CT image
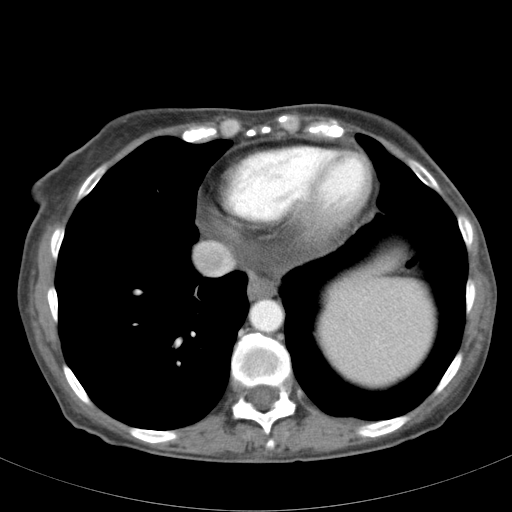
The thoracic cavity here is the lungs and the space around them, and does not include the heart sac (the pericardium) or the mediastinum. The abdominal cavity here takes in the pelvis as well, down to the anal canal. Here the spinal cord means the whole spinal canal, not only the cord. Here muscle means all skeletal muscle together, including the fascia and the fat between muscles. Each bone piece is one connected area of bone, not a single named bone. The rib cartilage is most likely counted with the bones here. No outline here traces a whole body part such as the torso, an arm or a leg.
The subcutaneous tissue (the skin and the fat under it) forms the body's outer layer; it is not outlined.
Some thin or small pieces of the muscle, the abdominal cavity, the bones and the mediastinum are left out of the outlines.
The thoracic cavity appears in 2 outlined pieces: piece 1: (163, 135) (188, 143) (231, 141) (198, 187) (194, 216) (198, 238) (190, 248) (190, 260) (205, 277) (244, 273) (248, 309) (230, 356) (229, 386) (219, 402) (193, 423) (149, 429) (129, 425) (100, 408) (66, 362) (55, 276) (66, 226) (78, 203) (108, 169) (145, 141); piece 2: (357, 133) (378, 141) (441, 197) (456, 218) (467, 259) (465, 315) (456, 353) (435, 387) (421, 402) (404, 414) (374, 421) (328, 414) (312, 402) (296, 382) (285, 340) (286, 311) (279, 292) (289, 271) (334, 252) (380, 212) (377, 199) (381, 182) (371, 158) (355, 137); inner edge: (392, 234) (399, 234) (407, 238) (419, 251) (421, 261) (427, 268) (427, 279) (439, 312) (437, 335) (427, 358) (413, 374) (386, 390) (370, 391) (347, 383) (331, 369) (318, 349) (311, 330) (318, 309) (318, 292) (322, 284) (338, 270) (350, 266) (363, 258) (377, 242). The spinal cord is outlined by (257, 385) (266, 385) (267, 386) (271, 386) (272, 387) (274, 387) (277, 390) (277, 398) (271, 404) (271, 407) (269, 409) (267, 409) (266, 410) (259, 410) (257, 409) (254, 406) (254, 405) (247, 399) (247, 392) (248, 391) (248, 389) (252, 387) (254, 387). The abdominal cavity is outlined by (392, 234) (399, 234) (407, 238) (419, 251) (421, 261) (427, 268) (427, 279) (439, 312) (437, 335) (427, 358) (413, 374) (386, 390) (370, 391) (347, 383) (331, 369) (318, 349) (311, 330) (318, 309) (318, 292) (322, 284) (338, 270) (350, 266) (363, 258) (377, 242). The bones appear in 14 outlined pieces: piece 1: (254, 332) (271, 337) (286, 348) (290, 356) (295, 383) (304, 393) (299, 399) (295, 390) (292, 389) (289, 397) (296, 403) (294, 413) (278, 418) (272, 424) (268, 435) (254, 420) (232, 418) (231, 407) (237, 400) (238, 393) (230, 384) (231, 356) (236, 342) (242, 336), around a hole outlined by (257, 385) (266, 385) (267, 386) (271, 386) (272, 387) (274, 387) (277, 390) (277, 398) (271, 404) (271, 407) (269, 409) (267, 409) (266, 410) (259, 410) (257, 409) (254, 406) (254, 405) (247, 399) (247, 392) (248, 391) (248, 389) (252, 387) (254, 387); piece 2: (227, 119) (236, 119) (241, 123) (241, 129) (239, 132) (233, 136) (230, 137) (223, 137) (221, 134) (219, 133) (216, 138) (204, 142) (188, 142) (183, 140) (181, 138) (181, 134) (183, 131) (187, 129) (200, 125) (212, 126) (218, 128) (220, 123); piece 3: (405, 414) (408, 415) (410, 418) (400, 427) (391, 432) (389, 432) (379, 436) (376, 436) (375, 437) (362, 436) (356, 432) (356, 429) (361, 425) (363, 425) (370, 422) (378, 421) (379, 420) (387, 420) (388, 419) (390, 419) (394, 417) (397, 417) (398, 416) (401, 416); piece 4: (330, 119) (334, 119) (336, 120) (337, 122) (344, 128) (345, 132) (341, 137) (333, 138) (332, 137) (326, 137) (325, 136) (321, 136) (320, 135) (309, 134) (304, 132) (302, 130) (306, 125) (310, 124) (313, 122) (317, 122) (318, 121) (322, 121) (323, 120) (326, 121); piece 5: (130, 426) (132, 427) (137, 427) (142, 429) (148, 429) (149, 430) (176, 430) (178, 435) (176, 438) (171, 440) (168, 440) (163, 442) (151, 443) (150, 442) (147, 442) (141, 439) (139, 439) (130, 434) (128, 431) (128, 428); piece 6: (408, 158) (410, 158) (411, 159) (413, 159) (417, 161) (420, 164) (421, 164) (429, 172) (429, 173) (435, 179) (435, 180) (437, 182) (441, 190) (441, 194) (439, 194) (435, 190) (426, 185) (416, 175) (416, 174) (409, 167) (409, 166) (407, 165) (406, 163) (406, 160); piece 7: (103, 164) (105, 164) (107, 165) (108, 167) (107, 170) (103, 174) (103, 175) (96, 183) (96, 184) (93, 187) (93, 188) (78, 202) (76, 201) (76, 197) (77, 196) (78, 191) (81, 185) (83, 183) (83, 182) (86, 179) (86, 178) (96, 168) (97, 168) (99, 166); piece 8: (458, 351) (461, 351) (463, 355) (463, 357) (462, 358) (462, 360) (461, 361) (461, 363) (458, 370) (453, 376) (453, 377) (440, 392) (439, 392) (436, 395) (432, 395) (432, 392) (433, 390) (438, 384) (443, 374) (447, 369) (448, 366) (451, 363) (452, 360); piece 9: (63, 363) (66, 363) (67, 364) (67, 365) (70, 368) (70, 369) (72, 371) (80, 384) (83, 387) (84, 390) (88, 395) (89, 398) (92, 401) (92, 404) (91, 405) (89, 405) (82, 401) (74, 392) (65, 377) (65, 375) (64, 374) (64, 372) (62, 368) (62, 364); piece 10: (459, 214) (463, 214) (465, 215) (469, 219) (471, 223) (471, 225) (472, 226) (472, 242) (471, 243) (471, 246) (470, 247) (470, 250) (469, 251) (467, 251) (466, 246) (464, 243) (462, 235) (459, 229) (459, 226) (458, 225) (458, 222) (457, 221) (457, 216); piece 11: (283, 114) (289, 114) (290, 115) (294, 115) (296, 116) (300, 120) (300, 123) (301, 124) (301, 127) (300, 129) (296, 132) (289, 132) (283, 129) (281, 127) (280, 127) (279, 124) (276, 120) (276, 118) (278, 116) (280, 115) (282, 115); piece 12: (61, 225) (63, 225) (65, 227) (65, 229) (64, 230) (63, 238) (61, 242) (61, 245) (59, 248) (59, 251) (58, 252) (58, 255) (57, 256) (57, 260) (56, 261) (54, 260) (51, 253) (50, 242) (51, 241) (51, 236) (52, 235) (53, 231) (56, 227) (60, 226); piece 13: (52, 285) (54, 286) (55, 288) (55, 290) (56, 291) (56, 294) (57, 295) (57, 303) (58, 304) (58, 321) (57, 323) (56, 323) (53, 319) (53, 317) (52, 316) (52, 314) (51, 313) (51, 311) (49, 307) (48, 300) (47, 299) (47, 291) (48, 290) (48, 288); piece 14: (468, 278) (470, 278) (472, 279) (474, 282) (474, 284) (475, 285) (475, 296) (474, 297) (474, 299) (473, 300) (473, 303) (470, 309) (470, 311) (469, 313) (467, 315) (466, 315) (466, 313) (465, 312) (465, 290) (466, 289) (466, 282). The mediastinum appears in 3 outlined pieces: piece 1: (209, 168) (198, 197) (201, 232) (242, 258) (261, 261) (279, 271) (288, 271) (278, 285) (285, 311) (285, 346) (277, 339) (258, 331) (248, 332) (237, 340) (249, 309) (246, 274) (234, 270) (216, 277) (205, 276) (191, 260) (191, 248) (199, 238) (195, 224) (197, 194); piece 2: (279, 129) (282, 129) (289, 133) (303, 134) (279, 134) (273, 137) (255, 139) (251, 141) (244, 141) (242, 143) (235, 144) (223, 154) (232, 145) (232, 141) (227, 138) (221, 138) (230, 138) (238, 133) (241, 133) (247, 137) (253, 137) (258, 134) (261, 135) (269, 134); piece 3: (378, 179) (380, 182) (380, 187) (379, 188) (379, 192) (376, 199) (376, 206) (379, 211) (374, 215) (373, 218) (368, 223) (363, 226) (361, 226) (358, 229) (358, 228) (368, 219) (368, 217) (370, 215) (370, 208) (374, 202) (374, 199) (376, 196) (376, 192) (378, 189). The pericardium is outlined by (279, 135) (314, 135) (353, 142) (361, 147) (370, 158) (377, 178) (377, 189) (369, 208) (367, 219) (332, 251) (303, 261) (290, 270) (286, 268) (279, 270) (261, 260) (255, 261) (242, 257) (217, 239) (204, 235) (200, 227) (199, 197) (210, 168) (237, 144) (273, 138). The muscle appears in 3 outlined pieces: piece 1: (428, 170) (451, 190) (474, 222) (484, 257) (482, 263) (491, 284) (491, 313) (479, 357) (463, 385) (428, 417) (404, 430) (376, 441) (331, 451) (303, 452) (286, 456) (205, 455) (158, 449) (124, 438) (75, 412) (38, 350) (26, 310) (38, 242) (47, 222) (87, 176) (77, 191) (77, 204) (66, 225) (56, 226) (51, 233) (50, 253) (56, 267) (54, 285) (50, 285) (46, 291) (48, 307) (53, 321) (57, 324) (65, 360) (61, 368) (67, 383) (82, 402) (89, 406) (93, 402) (108, 415) (128, 425) (127, 431) (130, 435) (151, 444) (176, 439) (179, 435) (175, 429) (193, 424) (206, 416) (220, 402) (230, 385) (237, 393) (237, 398) (230, 407) (231, 418) (254, 421) (267, 436) (278, 419) (295, 413) (297, 403) (290, 397) (293, 389) (299, 400) (305, 395) (328, 415) (369, 422) (355, 429) (362, 437) (375, 438) (391, 433) (411, 418) (406, 413) (429, 394) (436, 396) (440, 393) (459, 370) (464, 357) (463, 352) (458, 350) (465, 316) (470, 313) (476, 296) (475, 282) (468, 277) (467, 252) (471, 250) (473, 242) (472, 223) (463, 213) (456, 217) (440, 195) (442, 190) with a hole at (270, 437) (271, 438) (272, 438) (273, 439) (273, 440) (274, 441) (274, 447) (273, 448) (268, 448) (267, 447) (266, 447) (266, 446) (265, 445) (266, 444) (266, 442) (267, 441) (267, 440) (268, 439) (268, 438) (269, 438); piece 2: (279, 114) (282, 114) (278, 115) (275, 120) (281, 128) (273, 131) (270, 125) (262, 124) (258, 130) (253, 127) (249, 127) (244, 133) (242, 133) (240, 132) (242, 129) (242, 123) (236, 118) (227, 118) (221, 121) (218, 127) (200, 124) (187, 128) (182, 131) (180, 137) (169, 134) (151, 137) (135, 147) (109, 168) (107, 164) (101, 164) (135, 138) (159, 127) (166, 127) (194, 121) (205, 121) (222, 115) (236, 116) (243, 120) (255, 119) (261, 121); piece 3: (290, 112) (298, 112) (307, 115) (312, 114) (313, 115) (329, 116) (340, 119) (348, 123) (354, 124) (393, 142) (411, 155) (415, 159) (408, 157) (405, 160) (405, 163) (391, 153) (378, 140) (367, 134) (357, 132) (352, 135) (347, 135) (343, 137) (346, 132) (346, 130) (334, 118) (330, 118) (326, 120) (323, 119) (322, 120) (313, 121) (306, 124) (301, 130) (304, 133) (308, 134) (297, 132) (302, 127) (301, 120) (294, 114) (283, 113) (289, 113).